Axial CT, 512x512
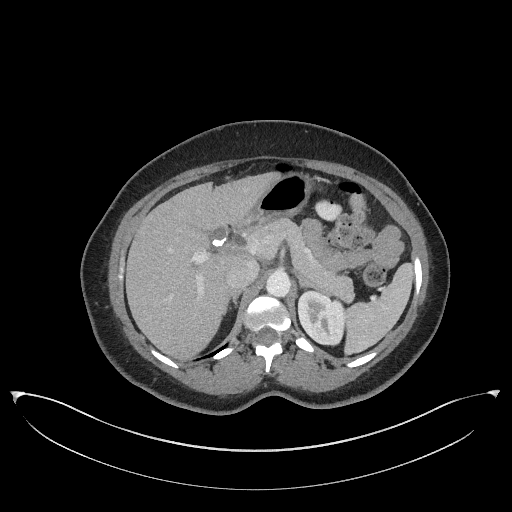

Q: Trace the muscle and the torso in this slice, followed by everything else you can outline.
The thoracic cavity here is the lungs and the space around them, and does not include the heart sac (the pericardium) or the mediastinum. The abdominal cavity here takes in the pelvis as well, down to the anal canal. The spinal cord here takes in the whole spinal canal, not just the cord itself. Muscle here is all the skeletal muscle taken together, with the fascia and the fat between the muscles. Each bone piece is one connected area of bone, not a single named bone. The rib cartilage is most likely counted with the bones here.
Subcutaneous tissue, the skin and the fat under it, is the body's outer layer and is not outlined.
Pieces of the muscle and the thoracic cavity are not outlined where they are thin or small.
A: Outlines:
muscle: 208,394 209,393 213,393 214,394 242,394 243,393 246,393 257,387 264,380 265,377 268,375 273,376 283,385 291,387 296,390 305,390 311,392 328,391 344,385 356,379 357,377 364,372 368,371 372,366 389,354 403,340 411,329 412,325 418,316 419,311 422,308 426,299 428,281 430,277 429,276 429,267 430,264 429,263 429,253 427,249 426,239 423,233 423,230 415,215 402,198 396,192 390,187 374,177 372,177 357,169 340,163 326,161 325,160 310,159 304,157 285,157 284,156 277,156 276,155 257,155 251,157 244,157 243,158 236,158 235,159 227,159 226,160 216,161 204,165 197,166 183,171 171,177 147,193 134,203 125,212 113,237 109,260 108,261 107,283 108,284 110,304 112,306 114,313 119,319 122,325 122,330 125,336 129,341 130,344 138,353 159,369 172,376 189,388 191,388 196,391 199,391 with a hole at 265,372 269,371 273,357 283,351 282,335 292,324 296,329 291,332 295,336 295,343 300,348 312,352 315,346 337,357 353,358 352,361 346,363 348,367 367,362 377,353 373,349 403,319 413,293 417,295 420,291 422,276 419,257 415,256 411,259 411,245 407,233 365,188 345,177 289,161 266,159 239,164 178,187 165,195 138,222 126,255 124,257 121,253 117,275 123,285 124,299 130,318 152,346 151,353 162,362 177,368 176,361 195,361 205,357 219,359 227,355 233,350 229,343 237,333 243,318 245,327 254,334 252,345 255,353 265,360
torso: 211,415 236,413 273,395 314,409 364,400 405,373 435,334 450,285 445,239 404,174 371,145 341,131 297,120 221,124 179,142 141,166 123,184 90,234 80,262 80,285 93,335 105,357 128,381 157,398
abdominal cavity: 182,362 207,357 228,345 238,331 247,305 260,294 279,299 293,326 314,346 348,358 372,350 401,322 414,292 407,233 362,186 289,161 249,161 172,190 138,222 126,251 123,288 128,313 138,331 158,351
thoracic cavity: 208,357 209,357 210,356 211,356 212,355 213,354 214,353 215,352 214,352 213,353 212,353 211,354 210,354 209,355 208,356
bones 1: 265,372 269,371 273,357 283,351 283,336 282,335 283,332 290,327 291,322 285,306 279,300 267,295 260,295 254,298 248,305 244,316 244,325 254,334 254,341 252,345 255,353 257,355 262,356 265,360 with a hole at 267,346 270,345 275,341 278,340 279,338 279,336 275,330 269,327 264,327 262,329 258,331 257,333 256,333 255,335 255,337 256,338 256,341 257,341 261,344 263,344
bones 2: 416,295 417,295 419,293 419,292 420,291 420,286 421,285 421,277 422,276 422,273 421,272 421,263 420,262 420,259 419,258 419,257 418,256 415,256 413,258 413,265 414,266 414,272 415,273 415,294
bones 3: 309,352 312,352 313,351 314,351 314,347 305,338 304,338 302,336 300,336 295,330 294,330 293,329 292,330 291,330 291,332 295,336 295,339 294,340 295,341 295,343 300,348 301,348 306,351 308,351
bones 4: 348,367 353,367 354,366 358,366 359,365 361,365 362,364 367,362 369,360 370,360 377,353 377,351 376,351 375,350 373,350 362,356 360,356 359,357 354,359 352,361 350,361 349,362 346,363 346,365
bones 5: 175,368 177,368 178,367 178,365 177,364 177,363 176,363 174,361 171,360 166,356 161,354 152,347 151,347 150,348 150,351 151,352 151,353 155,357 156,357 162,362 163,362 170,366 172,366
bones 6: 212,359 219,359 220,358 221,358 222,357 223,357 224,356 227,355 229,353 230,353 233,350 233,347 232,346 229,345 228,346 225,347 223,349 221,349 219,351 216,352 211,357 210,357
bones 7: 122,284 122,283 123,282 123,266 124,265 124,257 122,255 122,254 121,253 121,255 120,256 120,266 119,267 119,272 118,273 118,274 117,275 117,276 118,277 118,278 119,279 119,280 120,281 120,282
spinal cord: 267,346 270,345 275,341 278,340 279,338 279,336 275,330 269,327 264,327 262,329 258,331 257,333 256,333 255,335 255,337 256,338 256,341 257,341 261,344 263,344